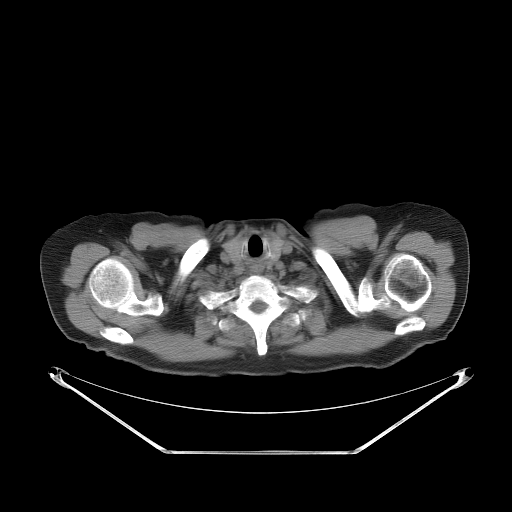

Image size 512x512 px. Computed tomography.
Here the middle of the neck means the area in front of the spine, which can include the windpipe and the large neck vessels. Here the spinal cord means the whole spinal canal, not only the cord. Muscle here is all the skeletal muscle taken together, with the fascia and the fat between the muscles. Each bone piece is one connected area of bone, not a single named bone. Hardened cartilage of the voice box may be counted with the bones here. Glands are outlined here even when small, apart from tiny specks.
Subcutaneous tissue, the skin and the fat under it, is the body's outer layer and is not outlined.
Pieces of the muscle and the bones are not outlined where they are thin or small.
The thyroid glands appear in 2 outlined pieces: piece 1: (233, 239) (237, 239) (238, 240) (240, 240) (241, 241) (241, 248) (240, 249) (240, 255) (241, 256) (241, 260) (240, 261) (240, 262) (238, 264) (236, 264) (235, 263) (234, 263) (232, 261) (229, 254) (226, 251) (226, 250) (225, 249) (225, 244) (227, 242) (228, 242); piece 2: (270, 238) (280, 238) (284, 242) (284, 244) (281, 248) (281, 252) (280, 253) (280, 255) (279, 255) (276, 258) (275, 258) (274, 259) (274, 258) (272, 256) (272, 254) (271, 253) (271, 249) (270, 248) (270, 246) (269, 245) (269, 242) (271, 240) (271, 239). The spinal cord is outlined by (258, 300) (259, 301) (261, 301) (262, 302) (263, 302) (266, 304) (266, 307) (265, 308) (265, 309) (259, 313) (257, 313) (256, 312) (254, 312) (250, 308) (250, 306) (252, 304) (252, 303) (253, 303) (255, 301) (257, 301). The bones appear in 8 outlined pieces: piece 1: (314, 246) (331, 255) (355, 294) (362, 278) (367, 277) (372, 280) (373, 296) (378, 299) (385, 292) (384, 268) (398, 253) (412, 254) (422, 262) (431, 280) (431, 292) (422, 306) (412, 312) (392, 301) (388, 308) (375, 309) (356, 317) (345, 308) (314, 258) (311, 251); piece 2: (254, 274) (264, 275) (276, 284) (304, 285) (318, 292) (308, 303) (292, 298) (290, 308) (269, 324) (265, 336) (267, 352) (263, 356) (257, 354) (255, 334) (247, 322) (233, 314) (223, 313) (218, 308) (208, 309) (198, 299) (199, 295) (209, 290) (232, 289) (246, 277); inner edge: (258, 300) (259, 301) (261, 301) (262, 302) (263, 302) (266, 304) (266, 307) (265, 308) (265, 309) (259, 313) (257, 313) (256, 312) (254, 312) (250, 308) (250, 306) (252, 304) (252, 303) (253, 303) (255, 301) (257, 301); piece 3: (108, 257) (112, 257) (119, 260) (129, 269) (133, 277) (134, 292) (139, 300) (144, 300) (149, 292) (159, 293) (161, 295) (164, 304) (164, 309) (160, 315) (156, 316) (145, 314) (134, 316) (104, 307) (96, 302) (92, 297) (88, 286) (88, 277) (94, 266) (101, 260); piece 4: (202, 237) (206, 237) (209, 240) (210, 242) (210, 247) (209, 248) (209, 250) (198, 262) (198, 263) (194, 267) (194, 268) (187, 275) (187, 276) (183, 281) (180, 281) (178, 280) (178, 268) (179, 267) (180, 260) (183, 254) (191, 244) (192, 244) (195, 241); piece 5: (106, 326) (116, 326) (117, 327) (123, 328) (131, 335) (131, 336) (133, 338) (133, 342) (131, 344) (125, 344) (124, 345) (123, 344) (116, 343) (115, 342) (113, 342) (112, 341) (110, 341) (106, 339) (104, 337) (103, 337) (99, 332) (99, 331) (102, 328); piece 6: (412, 315) (416, 315) (417, 316) (419, 316) (425, 321) (425, 326) (423, 329) (419, 331) (413, 331) (412, 332) (409, 332) (406, 334) (404, 334) (400, 336) (396, 335) (394, 333) (394, 330) (395, 329) (396, 324) (399, 321) (402, 320) (404, 318) (406, 317) (409, 317); piece 7: (301, 308) (302, 309) (307, 310) (309, 312) (309, 314) (307, 316) (306, 319) (304, 320) (302, 320) (298, 325) (296, 326) (291, 326) (285, 323) (283, 321) (283, 319) (284, 317) (287, 314) (293, 311) (296, 311) (298, 309) (300, 309); piece 8: (213, 318) (216, 318) (217, 319) (220, 319) (221, 318) (228, 318) (229, 319) (232, 319) (232, 320) (233, 321) (234, 324) (233, 325) (233, 326) (232, 327) (231, 327) (228, 330) (221, 330) (218, 327) (218, 326) (217, 325) (214, 325) (213, 324) (212, 324) (211, 321). The muscle is outlined by (360, 214) (381, 236) (402, 222) (405, 232) (449, 240) (456, 282) (441, 325) (422, 330) (421, 316) (406, 316) (395, 339) (365, 353) (267, 354) (270, 324) (292, 299) (308, 304) (319, 292) (266, 276) (294, 248) (256, 231) (219, 252) (221, 264) (247, 276) (197, 296) (247, 323) (256, 354) (166, 361) (130, 345) (123, 327) (106, 325) (95, 337) (65, 312) (60, 275) (73, 247) (123, 242) (137, 222) (206, 230) (281, 223) (309, 238) (314, 222); inner edges: (314, 246) (331, 255) (355, 294) (362, 278) (367, 277) (372, 280) (373, 296) (378, 299) (385, 292) (384, 268) (398, 253) (412, 254) (422, 262) (431, 280) (431, 292) (422, 306) (412, 312) (392, 301) (388, 308) (375, 309) (356, 317) (345, 308) (314, 258) (311, 251), then (108, 257) (112, 257) (119, 260) (129, 269) (133, 277) (134, 292) (139, 300) (144, 300) (149, 292) (159, 293) (161, 295) (164, 304) (164, 309) (160, 315) (156, 316) (145, 314) (134, 316) (104, 307) (96, 302) (92, 297) (88, 286) (88, 277) (94, 266) (101, 260), then (202, 237) (206, 237) (209, 240) (210, 242) (210, 247) (209, 248) (209, 250) (198, 262) (198, 263) (194, 267) (194, 268) (187, 275) (187, 276) (183, 281) (180, 281) (178, 280) (178, 268) (179, 267) (180, 260) (183, 254) (191, 244) (192, 244) (195, 241), then (301, 308) (302, 309) (307, 310) (309, 312) (309, 314) (307, 316) (306, 319) (304, 320) (302, 320) (298, 325) (296, 326) (291, 326) (285, 323) (283, 321) (283, 319) (284, 317) (287, 314) (293, 311) (296, 311) (298, 309) (300, 309), then (213, 318) (216, 318) (217, 319) (220, 319) (221, 318) (228, 318) (229, 319) (232, 319) (232, 320) (233, 321) (234, 324) (233, 325) (233, 326) (232, 327) (231, 327) (228, 330) (221, 330) (218, 327) (218, 326) (217, 325) (214, 325) (213, 324) (212, 324) (211, 321). The middle of the neck is outlined by (252, 232) (270, 239) (268, 242) (264, 238) (262, 242) (266, 255) (274, 260) (281, 255) (284, 245) (293, 248) (282, 269) (274, 273) (248, 275) (235, 273) (220, 262) (220, 252) (224, 248) (231, 261) (238, 265) (247, 247) (247, 242) (244, 240) (242, 245) (241, 239). The torso is outlined by (346, 202) (375, 206) (401, 202) (376, 267) (386, 303) (425, 324) (450, 332) (446, 339) (426, 344) (394, 365) (280, 376) (182, 376) (145, 370) (68, 339) (108, 320) (129, 298) (133, 266) (110, 212) (189, 213) (208, 223) (278, 217) (302, 232) (301, 221) (315, 210). The right arm is outlined by (104, 212) (109, 212) (132, 266) (132, 275) (130, 281) (128, 298) (127, 301) (111, 315) (108, 319) (101, 322) (77, 336) (68, 337) (67, 338) (56, 325) (49, 310) (39, 270) (39, 253) (40, 252) (40, 248) (44, 240) (58, 227) (88, 214) (99, 214). The left arm is outlined by (403, 201) (412, 201) (413, 202) (436, 205) (442, 207) (456, 216) (462, 222) (466, 230) (468, 243) (469, 244) (469, 254) (470, 255) (468, 292) (463, 311) (452, 331) (448, 331) (444, 329) (434, 327) (391, 307) (387, 303) (384, 289) (377, 267) (392, 221) (395, 218).